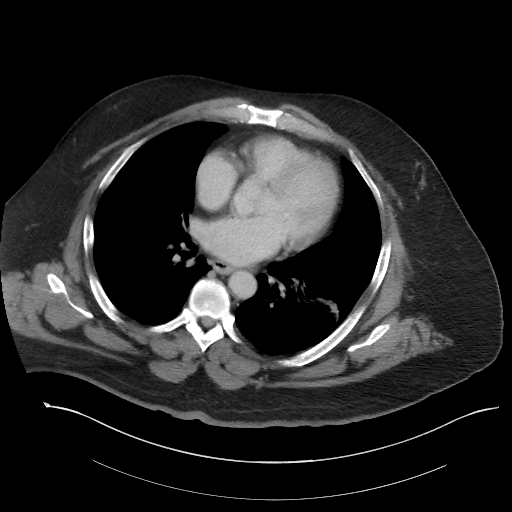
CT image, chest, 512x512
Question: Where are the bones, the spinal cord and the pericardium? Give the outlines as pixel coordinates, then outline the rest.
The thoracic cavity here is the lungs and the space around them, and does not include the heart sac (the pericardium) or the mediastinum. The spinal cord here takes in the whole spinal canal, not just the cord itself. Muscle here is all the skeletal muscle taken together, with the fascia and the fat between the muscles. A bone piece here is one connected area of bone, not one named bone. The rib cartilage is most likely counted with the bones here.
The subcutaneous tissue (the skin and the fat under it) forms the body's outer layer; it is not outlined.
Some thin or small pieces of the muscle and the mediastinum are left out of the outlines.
Answer: {"bones":[{"outer":[[201,278],[215,279],[224,285],[229,296],[230,310],[234,315],[234,326],[242,340],[241,343],[235,342],[225,334],[222,338],[211,343],[202,352],[197,342],[183,325],[167,332],[156,333],[148,331],[150,326],[165,323],[177,316],[187,304],[193,286]],"hole":[[203,316],[208,316],[209,317],[210,317],[212,319],[213,319],[215,321],[215,322],[214,323],[214,325],[212,327],[211,327],[210,328],[208,328],[207,329],[205,329],[199,323],[199,318],[200,317],[202,317]]},[[240,103],[251,104],[266,109],[278,108],[287,111],[294,116],[303,119],[318,128],[325,130],[334,139],[334,141],[331,142],[321,138],[312,137],[303,133],[281,129],[264,124],[234,122],[230,119],[210,115],[208,113],[208,110],[211,108],[233,106]],[[363,304],[365,304],[365,309],[355,325],[352,329],[329,351],[313,361],[301,366],[291,366],[290,367],[287,367],[286,366],[282,366],[277,362],[277,360],[280,358],[290,357],[293,355],[295,355],[314,346],[323,340],[334,331],[354,309]],[[88,273],[92,273],[98,278],[101,284],[101,286],[104,290],[106,295],[110,301],[118,310],[119,312],[119,315],[124,322],[122,323],[116,323],[110,319],[104,313],[98,304],[97,301],[95,299],[93,295],[93,293],[90,288],[89,280],[88,279]],[[143,137],[147,137],[147,140],[131,155],[131,156],[116,174],[116,175],[111,181],[109,185],[104,190],[100,190],[98,188],[98,187],[99,186],[99,184],[101,180],[103,178],[109,168],[121,154],[124,149],[132,143],[139,140]],[[387,238],[389,238],[391,240],[391,250],[390,251],[390,255],[389,256],[389,261],[387,265],[387,268],[386,269],[385,274],[381,281],[381,283],[375,293],[372,295],[372,289],[368,286],[372,278],[372,276],[377,263],[377,260],[381,249],[382,242]],[[348,148],[351,148],[353,150],[354,153],[360,160],[365,169],[378,188],[380,193],[381,200],[382,201],[382,210],[381,211],[381,214],[380,214],[378,206],[376,203],[376,201],[371,190],[365,182],[359,171],[349,159],[349,157],[347,153],[347,149]],[[48,273],[53,273],[56,275],[63,282],[66,291],[70,299],[76,305],[81,307],[85,310],[91,312],[93,314],[93,318],[88,318],[86,317],[83,314],[72,307],[68,303],[63,293],[61,292],[54,293],[51,290],[50,286],[47,281],[47,274]],[[380,324],[389,324],[389,328],[387,330],[387,331],[376,341],[375,341],[370,345],[366,345],[365,346],[363,346],[351,352],[348,352],[346,350],[346,349],[351,344],[363,341],[367,337],[369,333],[377,325],[379,325]],[[87,214],[88,214],[92,218],[92,219],[93,220],[93,246],[92,247],[92,248],[91,249],[90,249],[88,251],[88,253],[87,254],[87,255],[86,255],[84,252],[84,247],[83,246],[83,225],[84,224],[84,219],[85,218],[85,216]]],"spinal_cord":[[[203,316],[208,316],[209,317],[210,317],[212,319],[213,319],[215,321],[215,322],[214,323],[214,325],[212,327],[211,327],[210,328],[208,328],[207,329],[205,329],[199,323],[199,318],[200,317],[202,317]]],"pericardium":[[[260,129],[271,131],[292,140],[317,147],[336,158],[343,178],[343,194],[339,211],[335,216],[329,231],[317,243],[285,259],[261,262],[248,267],[234,264],[210,254],[194,235],[192,230],[192,216],[195,211],[195,180],[198,167],[210,148],[234,134]]],"muscle":[{"outer":[[223,96],[246,98],[254,104],[211,107],[207,113],[215,118],[184,122],[148,140],[143,136],[123,149],[100,180],[97,188],[103,192],[93,219],[88,213],[83,219],[82,246],[86,256],[92,249],[97,276],[88,272],[87,279],[103,313],[122,324],[125,321],[120,312],[149,325],[147,331],[156,334],[183,326],[202,353],[225,335],[241,344],[243,340],[237,330],[258,352],[283,356],[276,362],[287,368],[301,367],[320,358],[353,329],[366,309],[365,303],[355,308],[356,304],[368,287],[372,296],[376,293],[390,261],[392,240],[383,240],[381,193],[351,147],[346,149],[347,156],[328,142],[335,139],[325,129],[287,110],[259,106],[291,103],[353,142],[400,193],[404,205],[401,237],[412,273],[398,310],[402,317],[425,316],[436,330],[453,340],[452,345],[420,353],[358,382],[330,387],[246,385],[231,390],[220,388],[201,366],[174,383],[161,379],[142,362],[126,363],[10,329],[1,275],[9,270],[30,270],[38,262],[61,257],[84,190],[113,152],[92,162],[89,161],[94,154],[170,112]],"holes":[[[48,273],[53,273],[56,275],[63,282],[66,291],[70,299],[76,305],[81,307],[85,310],[91,312],[93,314],[93,318],[88,318],[86,317],[83,314],[72,307],[68,303],[63,293],[61,292],[54,293],[51,290],[50,286],[47,281],[47,274]],[[380,324],[389,324],[389,328],[387,330],[387,331],[376,341],[375,341],[370,345],[366,345],[365,346],[363,346],[351,352],[348,352],[346,350],[346,349],[351,344],[363,341],[367,337],[369,333],[377,325],[379,325]]]}],"mediastinum":[[[194,236],[210,255],[234,265],[251,268],[261,263],[271,262],[266,266],[265,272],[257,274],[257,290],[255,293],[240,303],[233,311],[231,310],[230,296],[225,285],[218,279],[202,277],[212,267],[208,264],[204,254],[199,251],[199,247],[194,239]],[[216,118],[226,119],[234,123],[264,125],[303,134],[309,136],[310,138],[327,142],[335,146],[347,157],[347,159],[342,159],[341,168],[337,158],[323,149],[263,128],[244,130],[234,133],[210,147],[206,152],[210,144],[228,128],[221,122],[207,120]],[[343,195],[343,205],[342,206],[342,209],[338,217],[338,219],[334,226],[334,228],[331,234],[328,237],[321,240],[324,238],[330,231],[334,223],[334,220],[340,211],[340,208],[341,207],[341,205],[342,204],[342,200],[343,199]]],"thoracic_cavity":[[[198,120],[221,123],[227,128],[209,144],[197,167],[194,180],[194,205],[190,214],[191,234],[198,251],[203,254],[211,268],[194,283],[186,304],[177,315],[165,322],[144,324],[119,311],[98,277],[93,255],[95,212],[104,191],[142,145],[166,130]],[[343,159],[348,159],[358,171],[370,190],[379,212],[382,241],[369,283],[347,316],[334,330],[314,345],[290,356],[262,353],[236,328],[235,315],[232,312],[256,293],[258,290],[257,276],[260,273],[265,273],[269,264],[291,258],[332,234],[344,205]]],"torso":[[[172,73],[270,90],[340,93],[372,105],[399,124],[431,157],[489,256],[504,321],[503,343],[496,359],[462,382],[411,406],[372,419],[319,427],[213,426],[144,408],[69,375],[28,373],[4,304],[0,239],[5,203],[70,125],[95,102],[125,85]]]}